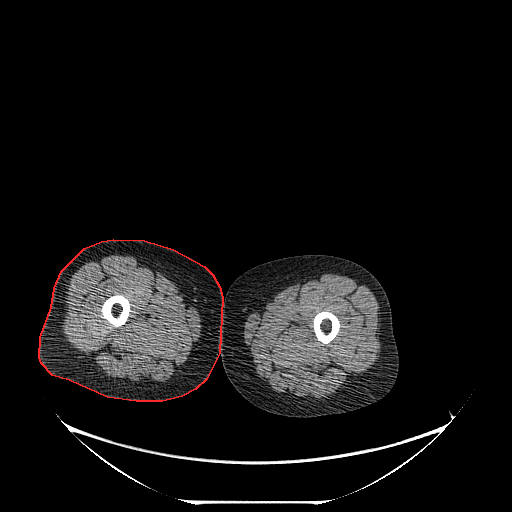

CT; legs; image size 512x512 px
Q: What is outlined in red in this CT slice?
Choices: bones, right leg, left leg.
A: red: right leg.
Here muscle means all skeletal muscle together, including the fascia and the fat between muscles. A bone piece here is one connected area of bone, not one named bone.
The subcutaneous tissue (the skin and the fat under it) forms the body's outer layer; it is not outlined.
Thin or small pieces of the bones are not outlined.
The right leg is outlined by (113, 239) (144, 240) (173, 249) (204, 266) (212, 274) (219, 286) (222, 297) (219, 353) (206, 379) (195, 389) (182, 396) (162, 401) (136, 401) (107, 397) (69, 380) (52, 375) (41, 363) (39, 357) (40, 337) (51, 307) (54, 288) (61, 271) (84, 248) (101, 241). The left leg is outlined by (304, 254) (324, 254) (353, 261) (368, 270) (378, 280) (387, 295) (391, 309) (399, 367) (397, 377) (390, 391) (374, 403) (343, 413) (315, 417) (278, 415) (263, 410) (245, 399) (235, 389) (224, 371) (220, 353) (222, 309) (223, 298) (230, 285) (242, 273) (259, 264). The bones appear in 2 outlined pieces: piece 1: (116, 293) (122, 294) (128, 299) (129, 302) (131, 304) (131, 306) (130, 307) (131, 311) (129, 313) (129, 315) (126, 322) (124, 324) (118, 327) (115, 327) (113, 326) (106, 319) (103, 318) (101, 316) (101, 311) (100, 310) (100, 308) (103, 302) (109, 296) (113, 295); piece 2: (324, 310) (326, 311) (330, 311) (332, 313) (333, 313) (338, 318) (340, 322) (340, 328) (339, 329) (339, 331) (337, 335) (331, 341) (330, 341) (326, 344) (323, 344) (317, 339) (317, 337) (313, 330) (313, 318) (318, 312) (320, 311) (323, 311). The muscle appears in 2 outlined pieces: piece 1: (111, 254) (141, 256) (157, 262) (189, 295) (198, 309) (201, 319) (201, 334) (193, 344) (193, 354) (182, 370) (167, 383) (158, 386) (135, 387) (103, 378) (92, 372) (78, 360) (70, 351) (68, 343) (63, 339) (62, 326) (66, 310) (65, 296) (68, 280) (85, 262), around a hole outlined by (116, 293) (122, 294) (128, 299) (129, 302) (131, 304) (131, 306) (130, 307) (131, 311) (129, 313) (129, 315) (126, 322) (124, 324) (118, 327) (115, 327) (113, 326) (106, 319) (103, 318) (101, 316) (101, 311) (100, 310) (100, 308) (103, 302) (109, 296) (113, 295); piece 2: (323, 273) (335, 273) (356, 279) (373, 292) (380, 312) (378, 315) (381, 345) (379, 354) (369, 372) (344, 393) (309, 400) (282, 398) (266, 388) (266, 384) (255, 373) (250, 350) (243, 334) (244, 323) (253, 309) (263, 305) (276, 293) (303, 279) (317, 278); inner edge: (324, 310) (326, 311) (330, 311) (332, 313) (333, 313) (338, 318) (340, 322) (340, 328) (339, 329) (339, 331) (337, 335) (331, 341) (330, 341) (326, 344) (323, 344) (317, 339) (317, 337) (313, 330) (313, 318) (318, 312) (320, 311) (323, 311).